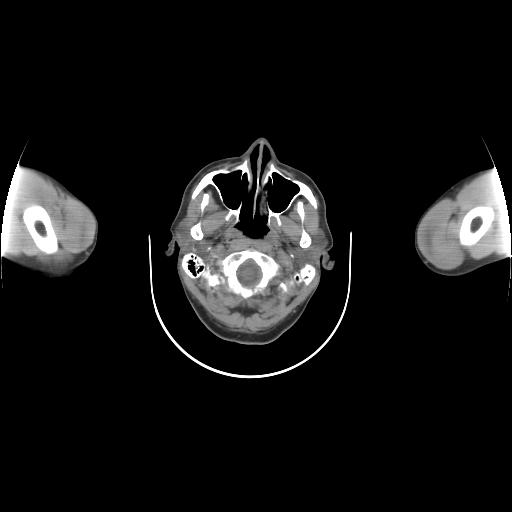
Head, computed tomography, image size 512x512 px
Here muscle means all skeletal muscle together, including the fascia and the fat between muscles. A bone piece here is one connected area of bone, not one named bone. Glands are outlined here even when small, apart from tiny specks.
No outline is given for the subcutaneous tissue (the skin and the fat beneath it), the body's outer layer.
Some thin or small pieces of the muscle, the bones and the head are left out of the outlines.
{"bones":[{"outer":[[248,248],[269,255],[280,266],[278,274],[269,281],[263,293],[258,293],[248,298],[243,298],[238,294],[226,291],[222,284],[208,287],[204,278],[189,277],[181,266],[183,255],[188,252],[194,252],[209,264],[212,273],[219,273],[218,260],[232,252]],"hole":[[248,260],[251,260],[257,266],[258,266],[258,267],[260,270],[260,277],[257,281],[257,282],[252,286],[248,286],[247,285],[244,285],[240,281],[240,280],[237,275],[237,270],[239,268],[239,267],[242,264],[243,264],[246,261],[247,261]]},{"outer":[[258,156],[261,156],[263,168],[271,161],[282,173],[311,189],[317,209],[302,195],[296,199],[303,203],[303,227],[311,237],[308,247],[299,245],[302,225],[295,201],[280,215],[281,225],[273,217],[268,227],[267,216],[262,215],[258,207],[253,215]],"hole":[[273,173],[275,173],[285,180],[287,180],[291,182],[292,184],[295,185],[297,187],[297,190],[290,198],[288,203],[285,206],[285,207],[280,211],[274,211],[271,208],[268,201],[268,190],[269,189],[267,185],[268,184],[271,187],[273,185],[274,183]]},[[34,203],[41,205],[47,211],[51,219],[53,228],[58,239],[58,250],[55,253],[53,253],[52,254],[47,254],[38,249],[34,243],[33,239],[28,232],[23,222],[23,220],[22,219],[22,212],[23,211],[23,208],[28,205],[30,205]],[[479,204],[489,204],[493,208],[494,210],[494,220],[492,222],[492,225],[491,227],[475,244],[471,246],[464,246],[463,245],[461,245],[459,242],[459,238],[458,237],[458,230],[459,229],[460,223],[462,220],[462,218],[464,216],[464,215],[471,208]],[[246,158],[249,158],[253,176],[252,188],[248,193],[246,194],[245,189],[247,176],[245,174],[241,179],[241,172],[239,170],[216,175],[213,179],[220,190],[226,206],[235,209],[238,207],[241,201],[243,201],[239,214],[239,220],[236,223],[235,217],[233,215],[228,220],[225,220],[224,217],[228,210],[220,200],[215,188],[212,185],[209,184],[194,199],[191,198],[192,192],[205,174],[221,168],[230,169],[239,165]],[[306,263],[309,263],[313,265],[316,270],[316,273],[312,280],[307,285],[305,285],[302,282],[298,284],[290,285],[288,287],[288,290],[286,292],[283,292],[278,287],[279,283],[282,281],[285,282],[289,280],[292,277],[293,274],[295,272],[297,272]],[[199,221],[201,221],[201,229],[202,230],[202,232],[203,233],[203,237],[201,239],[200,239],[199,240],[196,240],[195,239],[194,239],[190,235],[190,232],[189,231],[190,230],[190,228],[193,225],[194,225],[196,223],[197,223]],[[205,192],[206,193],[208,193],[209,194],[209,201],[208,202],[208,203],[207,204],[207,205],[204,208],[204,211],[202,213],[201,212],[201,211],[200,210],[200,204],[201,203],[201,201],[202,200],[202,197],[203,196],[203,193],[204,193]]],"head":[{"outer":[[259,136],[268,139],[281,162],[305,172],[320,189],[333,238],[329,255],[335,263],[332,269],[321,270],[315,292],[289,329],[269,343],[242,344],[222,339],[205,327],[184,294],[176,271],[177,254],[166,256],[163,252],[190,179],[211,161],[240,155]],"holes":[[[256,147],[258,155],[252,215],[258,208],[259,213],[266,216],[268,229],[261,236],[252,237],[236,226],[244,201],[242,199],[235,208],[226,205],[214,179],[222,174],[239,171],[241,180],[246,176],[244,189],[245,194],[248,194],[254,184],[250,156]],[[273,173],[275,173],[285,180],[287,180],[291,182],[292,184],[295,185],[297,187],[297,190],[290,198],[288,203],[285,206],[285,207],[280,211],[274,211],[271,208],[268,201],[268,190],[269,189],[267,185],[268,184],[271,187],[273,185],[274,183]],[[264,148],[266,148],[267,149],[267,150],[268,151],[268,153],[269,154],[269,159],[268,160],[268,161],[265,164],[265,165],[263,167],[262,166],[262,157],[263,156],[263,149]]]}],"parotid_glands":[[[318,229],[322,229],[323,230],[325,234],[325,237],[327,240],[327,243],[325,247],[323,249],[323,251],[322,251],[321,253],[320,253],[317,256],[317,258],[314,258],[310,256],[309,252],[308,251],[308,249],[312,243],[312,239],[314,236],[314,231]],[[184,218],[190,218],[193,221],[193,224],[189,228],[189,230],[188,231],[189,232],[189,235],[191,237],[191,239],[187,243],[186,245],[184,245],[182,243],[182,242],[180,241],[180,240],[177,237],[176,235],[176,228],[178,224]]],"right_arm":[[[18,165],[21,167],[25,165],[34,166],[51,174],[80,199],[85,202],[91,208],[97,218],[98,221],[98,235],[96,246],[92,254],[79,267],[75,274],[64,282],[56,283],[29,270],[24,269],[6,259],[3,259],[2,256],[3,215],[11,181]]],"brain":[[[248,260],[251,260],[257,266],[258,266],[258,267],[260,270],[260,277],[257,281],[257,282],[252,286],[248,286],[247,285],[244,285],[240,281],[240,280],[237,275],[237,270],[239,268],[239,267],[242,264],[243,264],[246,261],[247,261]]],"muscle":[{"outer":[[240,161],[230,168],[205,173],[191,192],[190,198],[212,186],[227,210],[224,220],[233,216],[235,226],[252,238],[265,234],[273,218],[281,226],[281,215],[295,202],[298,245],[317,259],[310,292],[292,316],[264,334],[221,329],[192,296],[180,269],[204,279],[208,288],[222,285],[243,299],[263,294],[279,274],[280,264],[252,247],[218,259],[219,272],[194,251],[183,254],[192,238],[204,237],[201,220],[182,219],[194,183],[205,171],[216,165]],"holes":[[[306,263],[309,263],[313,265],[316,270],[316,273],[312,280],[307,285],[305,285],[302,282],[298,284],[290,285],[288,287],[288,290],[286,292],[283,292],[278,287],[279,283],[282,281],[285,282],[289,280],[292,277],[293,274],[295,272],[297,272]],[[205,192],[206,193],[208,193],[209,194],[209,201],[208,202],[208,203],[207,204],[207,205],[204,208],[204,211],[202,213],[201,212],[201,211],[200,210],[200,204],[201,203],[201,201],[202,200],[202,197],[203,196],[203,193],[204,193]]]},{"outer":[[16,169],[31,170],[49,178],[65,192],[81,203],[89,211],[94,220],[95,231],[92,243],[85,251],[73,261],[70,262],[63,269],[52,270],[47,267],[40,265],[31,258],[12,257],[1,252],[0,234],[2,231],[3,215],[9,188]],"hole":[[34,203],[41,205],[47,211],[51,219],[53,228],[58,239],[58,250],[55,253],[53,253],[52,254],[47,254],[38,249],[34,243],[33,239],[28,232],[23,222],[23,220],[22,219],[22,212],[23,211],[23,208],[28,205],[30,205]]},{"outer":[[486,173],[497,173],[500,180],[503,194],[505,198],[505,203],[508,216],[508,224],[511,233],[511,251],[504,254],[479,259],[458,266],[453,269],[445,270],[436,267],[423,256],[418,247],[417,232],[422,219],[427,212],[443,197],[465,182],[479,175]],"hole":[[479,204],[489,204],[493,208],[494,210],[494,220],[492,222],[492,225],[491,227],[475,244],[471,246],[464,246],[463,245],[461,245],[459,242],[459,238],[458,237],[458,230],[459,229],[460,223],[462,220],[462,218],[464,216],[464,215],[471,208]]},[[312,189],[319,200],[319,209],[321,219],[320,220],[322,226],[322,228],[318,228],[313,231],[312,238],[304,227],[304,221],[306,214],[304,209],[304,203],[302,200],[297,199],[300,196],[302,196],[315,210],[317,210],[318,209],[318,201],[314,195]],[[276,166],[277,166],[280,168],[282,168],[289,172],[291,172],[292,173],[295,174],[299,178],[300,178],[304,181],[305,181],[307,183],[307,184],[305,182],[304,182],[297,178],[294,178],[293,177],[291,177],[290,176],[285,174],[283,172],[282,172]]],"left_arm":[[[493,167],[495,168],[500,180],[505,198],[508,224],[511,233],[511,257],[506,257],[502,260],[485,265],[469,273],[459,276],[446,276],[431,271],[419,259],[414,248],[414,230],[419,217],[424,210],[441,193],[455,182],[475,171],[485,168],[492,169]]]}